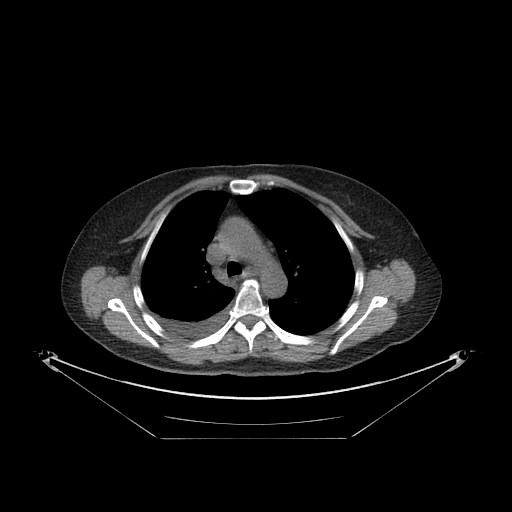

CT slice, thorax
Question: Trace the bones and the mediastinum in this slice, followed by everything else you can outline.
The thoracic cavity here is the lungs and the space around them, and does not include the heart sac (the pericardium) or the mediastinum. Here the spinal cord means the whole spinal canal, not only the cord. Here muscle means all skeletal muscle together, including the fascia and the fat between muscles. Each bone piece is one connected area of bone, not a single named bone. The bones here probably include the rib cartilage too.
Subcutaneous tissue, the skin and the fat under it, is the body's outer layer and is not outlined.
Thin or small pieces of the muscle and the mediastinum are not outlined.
Answer: The bones appear in 9 outlined pieces: piece 1: [[246,279],[257,281],[262,301],[268,306],[269,315],[277,325],[293,334],[312,336],[316,341],[307,345],[285,343],[267,328],[254,337],[252,351],[249,353],[247,340],[231,328],[216,343],[188,348],[185,345],[187,343],[206,337],[225,324],[235,295]], around a hole outlined by [[248,314],[251,314],[252,315],[255,316],[257,318],[257,320],[256,321],[256,322],[250,328],[247,327],[246,326],[246,325],[245,324],[244,324],[242,322],[242,321],[241,320],[241,318],[243,316],[244,316],[245,315],[247,315]]; piece 2: [[238,178],[250,179],[251,180],[257,181],[258,182],[266,182],[267,181],[272,180],[274,181],[278,186],[268,186],[265,184],[262,184],[257,190],[255,190],[249,194],[237,194],[236,193],[232,192],[228,188],[228,184],[231,180],[233,179],[237,179]]; piece 3: [[376,295],[385,296],[387,298],[387,301],[386,303],[380,307],[375,307],[373,308],[362,321],[362,322],[340,343],[337,348],[337,351],[336,353],[333,355],[330,355],[329,354],[329,351],[335,344],[336,341],[363,315],[368,308],[368,306],[372,298]]; piece 4: [[135,284],[138,284],[140,286],[140,289],[145,302],[145,304],[143,306],[142,309],[144,311],[150,314],[163,328],[164,330],[164,334],[166,336],[165,338],[164,337],[159,336],[156,334],[144,321],[142,317],[142,310],[137,306],[133,295],[133,286]]; piece 5: [[112,298],[119,298],[122,301],[125,308],[130,315],[132,320],[141,330],[151,336],[159,344],[159,347],[158,348],[155,347],[148,340],[144,338],[133,327],[133,326],[128,320],[127,317],[122,312],[120,311],[112,310],[108,307],[107,305],[107,302]]; piece 6: [[168,207],[170,207],[170,210],[164,219],[162,224],[160,226],[155,237],[153,239],[146,255],[146,257],[143,262],[143,264],[140,265],[140,258],[146,240],[154,228],[155,224],[160,217],[161,213]]; piece 7: [[356,299],[357,299],[359,301],[359,303],[358,304],[358,306],[355,312],[351,316],[351,317],[338,330],[336,331],[333,331],[333,329],[335,327],[336,325],[336,322],[338,320],[338,319],[346,310],[348,306],[353,301],[354,301]]; piece 8: [[332,218],[335,218],[339,222],[342,228],[351,240],[352,242],[352,244],[353,245],[353,253],[352,254],[350,254],[348,250],[348,248],[346,246],[344,241],[340,236],[339,233],[337,231],[336,228],[334,226],[333,223],[331,221],[331,219]]; piece 9: [[358,268],[361,269],[363,271],[363,272],[364,273],[364,278],[363,279],[363,286],[362,287],[361,292],[359,295],[357,295],[357,294],[355,292],[353,292],[353,290],[354,289],[354,282],[355,281],[355,271],[356,270],[356,269],[357,269]]. The mediastinum is outlined by [[212,188],[227,188],[236,194],[237,204],[274,244],[287,280],[287,290],[282,297],[270,299],[266,304],[263,301],[260,285],[256,279],[244,279],[236,292],[232,287],[215,277],[206,260],[206,248],[214,235],[218,219],[229,199],[229,194],[221,188]]. The spinal cord is outlined by [[248,314],[251,314],[252,315],[255,316],[257,318],[257,320],[256,321],[256,322],[250,328],[247,327],[246,326],[246,325],[245,324],[244,324],[242,322],[242,321],[241,320],[241,318],[243,316],[244,316],[245,315],[247,315]]. The muscle is outlined by [[262,173],[285,177],[329,198],[373,236],[359,237],[355,242],[367,267],[373,268],[397,258],[404,259],[411,266],[416,278],[414,293],[400,308],[398,318],[389,329],[337,353],[341,343],[372,310],[387,303],[385,295],[376,294],[362,315],[335,341],[328,351],[331,356],[308,362],[248,356],[232,361],[188,364],[173,360],[153,348],[123,340],[86,315],[80,283],[89,267],[103,265],[113,268],[119,275],[127,274],[142,240],[122,240],[140,226],[164,197],[193,179],[229,175],[237,178],[231,179],[227,187],[197,190],[160,213],[140,254],[140,285],[135,283],[132,286],[133,299],[145,324],[159,337],[165,339],[166,332],[176,338],[191,340],[184,345],[188,349],[216,344],[232,329],[246,340],[249,354],[253,351],[255,337],[267,329],[285,344],[304,346],[314,344],[317,341],[311,335],[334,323],[332,331],[338,331],[359,306],[357,298],[349,304],[352,294],[359,296],[364,286],[364,271],[359,267],[355,270],[353,266],[353,242],[335,217],[330,220],[299,193],[279,186],[272,179],[245,178]], around a hole outlined by [[112,298],[119,298],[122,301],[125,308],[130,315],[132,320],[141,330],[151,336],[159,344],[159,347],[158,348],[155,347],[148,340],[144,338],[133,327],[133,326],[128,320],[127,317],[122,312],[120,311],[112,310],[108,307],[107,305],[107,302]]. The thoracic cavity appears in 2 outlined pieces: piece 1: [[270,187],[289,189],[313,204],[332,223],[351,258],[354,281],[347,307],[335,322],[310,335],[290,332],[282,328],[271,317],[268,302],[282,298],[286,294],[288,290],[287,276],[282,267],[275,244],[245,213],[236,199],[238,195],[249,195],[255,191]]; piece 2: [[205,189],[221,189],[228,194],[228,199],[217,219],[213,235],[205,248],[205,260],[214,277],[222,284],[232,288],[235,294],[228,311],[228,318],[224,324],[214,332],[192,340],[168,333],[154,318],[141,289],[141,276],[152,243],[171,210],[187,196]]. The torso is outlined by [[249,163],[301,163],[323,167],[367,184],[396,205],[416,230],[442,275],[441,299],[430,322],[410,340],[395,344],[349,368],[256,377],[192,375],[150,368],[118,357],[81,331],[62,306],[60,277],[66,256],[90,216],[118,193],[156,174],[186,166]].